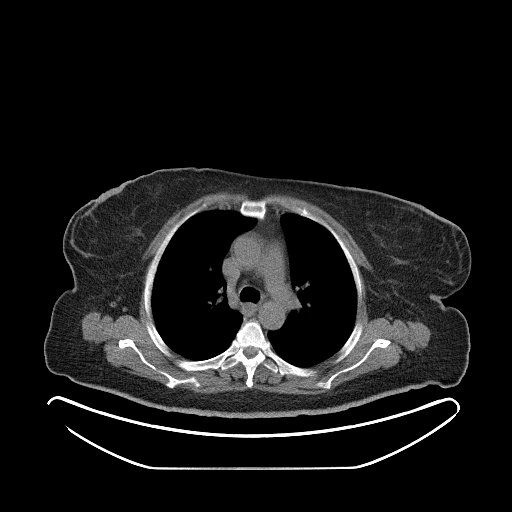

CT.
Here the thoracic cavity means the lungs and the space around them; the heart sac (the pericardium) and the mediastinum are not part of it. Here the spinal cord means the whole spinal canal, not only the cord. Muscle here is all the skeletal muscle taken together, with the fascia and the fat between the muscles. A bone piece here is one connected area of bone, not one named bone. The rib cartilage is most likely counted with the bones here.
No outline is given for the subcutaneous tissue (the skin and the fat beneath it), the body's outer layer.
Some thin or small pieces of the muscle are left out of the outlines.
The spinal cord is outlined by (249, 346) (251, 346) (252, 347) (254, 347) (257, 350) (257, 351) (256, 352) (256, 354) (254, 356) (253, 356) (252, 357) (247, 357) (244, 354) (244, 349) (246, 347) (248, 347). The thoracic cavity appears in 2 outlined pieces: piece 1: (210, 209) (238, 210) (241, 215) (254, 218) (256, 221) (249, 229) (231, 240) (221, 262) (221, 273) (226, 283) (229, 306) (239, 312) (242, 323) (228, 347) (223, 351) (209, 358) (191, 360) (173, 351) (157, 330) (152, 316) (152, 290) (158, 265) (174, 234) (191, 217); piece 2: (285, 212) (291, 212) (307, 218) (319, 224) (331, 234) (346, 259) (356, 291) (355, 322) (350, 334) (333, 355) (310, 367) (301, 367) (282, 358) (274, 351) (267, 337) (269, 331) (276, 331) (282, 327) (296, 299) (296, 289) (292, 286) (291, 281) (287, 242) (280, 220). The torso is outlined by (185, 166) (375, 189) (417, 202) (458, 225) (469, 243) (471, 269) (464, 285) (441, 301) (457, 308) (468, 324) (469, 361) (460, 382) (429, 384) (332, 413) (229, 418) (165, 411) (52, 373) (43, 345) (56, 299) (73, 286) (62, 251) (70, 217) (110, 187) (157, 169). The mediastinum is outlined by (269, 210) (285, 211) (279, 220) (286, 242) (290, 281) (291, 286) (295, 289) (295, 299) (281, 327) (269, 330) (266, 336) (257, 320) (249, 319) (243, 322) (243, 316) (240, 312) (230, 306) (227, 283) (222, 273) (222, 262) (232, 240) (249, 230) (257, 220) (262, 220). The muscle is outlined by (218, 191) (244, 193) (254, 199) (268, 194) (287, 194) (323, 209) (348, 230) (373, 268) (371, 272) (363, 271) (368, 317) (373, 319) (388, 314) (404, 321) (419, 320) (431, 332) (427, 346) (419, 352) (409, 352) (387, 369) (361, 374) (323, 393) (286, 394) (251, 388) (254, 373) (260, 364) (281, 376) (315, 376) (318, 371) (311, 367) (335, 354) (332, 363) (340, 362) (354, 348) (363, 331) (363, 324) (356, 321) (363, 289) (360, 271) (343, 240) (322, 217) (305, 206) (271, 196) (245, 198) (238, 209) (207, 209) (208, 203) (203, 202) (188, 211) (172, 225) (157, 247) (147, 266) (142, 291) (146, 331) (165, 356) (171, 357) (172, 351) (181, 356) (183, 358) (175, 359) (174, 363) (187, 372) (225, 371) (240, 363) (246, 373) (244, 383) (248, 389) (200, 393) (173, 388) (186, 383) (197, 388) (200, 382) (193, 375) (178, 378) (158, 369) (129, 337) (119, 339) (118, 347) (132, 348) (145, 365) (163, 375) (167, 381) (163, 385) (111, 365) (99, 347) (83, 339) (82, 318) (91, 311) (114, 318) (123, 314) (137, 318) (146, 266) (142, 256) (148, 245) (175, 211) (202, 195), around a hole outlined by (378, 338) (383, 338) (390, 341) (390, 343) (386, 347) (383, 348) (382, 347) (375, 347) (370, 352) (367, 358) (358, 366) (337, 375) (332, 380) (330, 388) (327, 389) (315, 386) (318, 381) (325, 381) (334, 373) (349, 367) (359, 361) (369, 349) (373, 342). The bones appear in 6 outlined pieces: piece 1: (249, 320) (259, 323) (271, 348) (282, 359) (301, 368) (315, 369) (317, 373) (306, 377) (281, 375) (260, 363) (253, 373) (253, 384) (249, 388) (245, 383) (245, 367) (240, 362) (225, 370) (208, 368) (187, 371) (177, 366) (177, 359) (205, 360) (223, 352) (241, 325), around a hole outlined by (249, 346) (251, 346) (252, 347) (254, 347) (257, 350) (257, 351) (256, 352) (256, 354) (254, 356) (253, 356) (252, 357) (247, 357) (244, 354) (244, 349) (246, 347) (248, 347); piece 2: (271, 197) (278, 197) (288, 204) (305, 207) (322, 218) (337, 233) (352, 256) (359, 271) (362, 285) (359, 305) (355, 282) (347, 259) (338, 242) (325, 227) (275, 202) (267, 204) (267, 210) (262, 219) (241, 214) (239, 208) (243, 200) (258, 200); piece 3: (203, 203) (207, 203) (207, 208) (187, 219) (173, 234) (159, 260) (153, 279) (153, 285) (151, 290) (151, 316) (156, 330) (171, 350) (171, 356) (167, 356) (155, 345) (146, 328) (146, 322) (148, 318) (145, 311) (143, 297) (145, 277) (152, 258) (169, 230) (184, 215); piece 4: (126, 338) (133, 340) (144, 358) (155, 366) (158, 370) (164, 371) (178, 379) (184, 379) (193, 376) (199, 382) (200, 385) (196, 387) (191, 382) (186, 382) (177, 384) (172, 388) (166, 386) (165, 384) (168, 379) (157, 370) (145, 364) (132, 347) (119, 347) (118, 341); piece 5: (378, 338) (383, 338) (390, 341) (390, 343) (386, 347) (383, 348) (382, 347) (375, 347) (370, 352) (367, 358) (358, 366) (337, 375) (332, 380) (330, 388) (327, 389) (315, 386) (318, 381) (325, 381) (334, 373) (349, 367) (359, 361) (369, 349) (373, 342); piece 6: (357, 321) (360, 322) (362, 324) (362, 331) (357, 342) (355, 344) (353, 348) (350, 351) (350, 352) (345, 357) (344, 357) (340, 361) (336, 363) (333, 363) (333, 361) (336, 357) (336, 353) (345, 343) (345, 342) (351, 334) (353, 330) (353, 328) (355, 325) (355, 323).